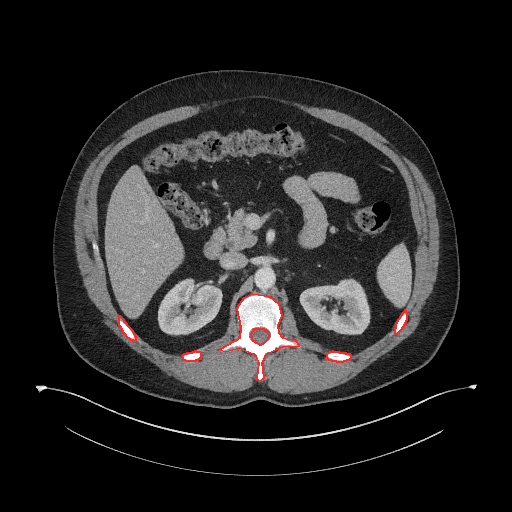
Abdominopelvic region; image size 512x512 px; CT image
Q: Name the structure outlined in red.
A: red: bones.
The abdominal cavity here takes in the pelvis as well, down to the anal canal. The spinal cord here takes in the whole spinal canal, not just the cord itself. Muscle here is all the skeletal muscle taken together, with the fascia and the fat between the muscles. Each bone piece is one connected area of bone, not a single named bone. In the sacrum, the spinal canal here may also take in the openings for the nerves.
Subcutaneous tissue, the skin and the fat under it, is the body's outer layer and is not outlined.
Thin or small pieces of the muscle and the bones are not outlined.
The bones appear in 5 outlined pieces: piece 1: (259, 381) (264, 377) (262, 362) (267, 353) (282, 346) (299, 345) (296, 341) (283, 338) (279, 333) (278, 325) (282, 315) (279, 304) (270, 297) (252, 294) (243, 298) (236, 308) (240, 327) (239, 338) (220, 349) (225, 351) (239, 347) (254, 354) (258, 362) (256, 378), around a hole outlined by (259, 344) (261, 344) (262, 343) (263, 343) (268, 338) (268, 337) (269, 336) (269, 334) (268, 333) (268, 332) (266, 330) (265, 330) (264, 329) (254, 329) (251, 332) (251, 333) (250, 334) (250, 336) (251, 337) (252, 340) (253, 340) (255, 342) (256, 342); piece 2: (133, 340) (136, 339) (136, 337) (135, 336) (135, 335) (134, 334) (133, 331) (127, 325) (127, 324) (124, 321) (124, 320) (120, 316) (118, 316) (118, 324) (120, 326) (120, 327) (121, 328) (122, 331) (125, 334) (125, 335) (127, 337) (128, 337) (130, 339) (132, 339); piece 3: (336, 361) (343, 361) (344, 360) (346, 360) (347, 359) (349, 359) (351, 357) (351, 355) (350, 354) (347, 354) (346, 353) (340, 353) (339, 352) (334, 352) (333, 351) (332, 351) (331, 352) (329, 352) (326, 354) (326, 357) (328, 359) (330, 359) (331, 360) (335, 360); piece 4: (395, 333) (397, 333) (402, 328) (402, 327) (404, 325) (404, 324) (405, 323) (405, 322) (407, 319) (407, 313) (405, 310) (404, 310) (404, 311) (401, 314) (401, 315) (399, 317) (399, 318) (397, 320) (397, 321) (395, 324) (395, 328) (394, 329) (394, 332); piece 5: (185, 360) (195, 360) (196, 359) (198, 359) (199, 358) (200, 358) (200, 357) (201, 356) (201, 353) (200, 352) (197, 352) (196, 351) (194, 351) (193, 352) (192, 352) (191, 353) (186, 353) (185, 354) (183, 354) (181, 356) (182, 357) (182, 358) (183, 359) (184, 359). The spinal cord is outlined by (259, 344) (261, 344) (262, 343) (263, 343) (268, 338) (268, 337) (269, 336) (269, 334) (268, 333) (268, 332) (266, 330) (265, 330) (264, 329) (254, 329) (251, 332) (251, 333) (250, 334) (250, 336) (251, 337) (252, 340) (253, 340) (255, 342) (256, 342). The abdominal cavity is outlined by (178, 354) (221, 336) (230, 310) (252, 293) (289, 305) (299, 333) (331, 351) (354, 353) (381, 338) (407, 305) (414, 278) (415, 234) (405, 184) (395, 166) (346, 130) (258, 98) (163, 127) (122, 150) (106, 168) (98, 191) (99, 247) (110, 294) (134, 332) (151, 345). The muscle is outlined by (289, 394) (302, 394) (303, 393) (317, 392) (329, 389) (345, 383) (407, 338) (417, 327) (420, 321) (421, 310) (433, 289) (433, 286) (437, 275) (437, 269) (439, 262) (439, 224) (438, 223) (438, 218) (436, 214) (436, 204) (433, 193) (428, 183) (425, 180) (424, 175) (399, 148) (375, 129) (367, 124) (354, 118) (350, 115) (340, 112) (337, 110) (325, 107) (317, 107) (316, 106) (306, 105) (296, 101) (287, 100) (279, 97) (273, 97) (265, 95) (252, 95) (251, 96) (242, 96) (241, 97) (232, 97) (225, 99) (219, 99) (218, 100) (203, 102) (194, 105) (185, 105) (184, 106) (176, 107) (154, 114) (145, 118) (125, 130) (105, 146) (89, 164) (79, 184) (76, 197) (75, 213) (73, 220) (74, 244) (75, 245) (75, 254) (76, 255) (76, 260) (78, 264) (78, 268) (82, 277) (82, 282) (87, 292) (88, 297) (91, 300) (102, 322) (121, 340) (137, 353) (157, 366) (167, 375) (172, 376) (181, 382) (198, 388) (202, 388) (215, 392) (223, 392) (224, 393) (230, 393) (234, 391) (235, 392) (243, 391) (252, 387) (256, 383) (261, 383) (271, 390) (278, 393) (288, 393), around a hole outlined by (259, 381) (267, 353) (299, 347) (279, 333) (279, 302) (290, 306) (302, 336) (331, 351) (326, 354) (331, 360) (349, 359) (394, 323) (397, 333) (407, 319) (416, 241) (405, 184) (385, 156) (346, 130) (258, 98) (163, 127) (122, 150) (100, 181) (99, 244) (93, 242) (92, 248) (104, 261) (118, 324) (127, 337) (136, 339) (135, 332) (153, 346) (195, 360) (201, 356) (198, 347) (224, 333) (236, 305) (240, 336) (220, 349) (239, 347) (254, 354). The torso is outlined by (218, 409) (257, 400) (302, 407) (372, 393) (426, 365) (451, 327) (459, 298) (459, 255) (439, 172) (417, 132) (364, 94) (320, 80) (262, 71) (214, 70) (180, 76) (145, 89) (114, 109) (73, 163) (58, 204) (52, 246) (57, 311) (68, 343) (96, 371) (133, 390).